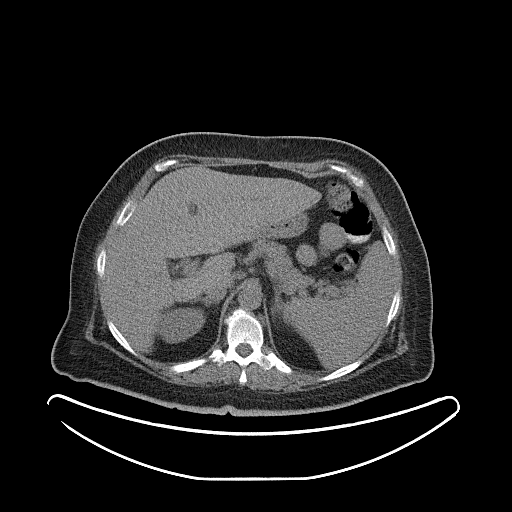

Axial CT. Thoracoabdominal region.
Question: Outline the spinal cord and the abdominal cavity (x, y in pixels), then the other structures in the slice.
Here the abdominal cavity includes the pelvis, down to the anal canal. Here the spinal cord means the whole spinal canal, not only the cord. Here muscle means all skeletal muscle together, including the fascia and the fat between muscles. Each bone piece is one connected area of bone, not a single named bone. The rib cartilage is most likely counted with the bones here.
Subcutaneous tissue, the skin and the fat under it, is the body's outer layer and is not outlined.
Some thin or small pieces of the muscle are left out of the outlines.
Answer: Outlined structures:
spinal cord: 240 344; 247 344; 248 345; 249 345; 250 346; 250 347; 252 350; 251 351; 251 352; 249 354; 248 354; 245 356; 242 356; 241 355; 240 355; 237 352; 237 351; 236 350; 236 347; 238 345; 239 345
abdominal cavity: 255 164; 306 178; 340 176; 359 188; 393 270; 391 302; 375 341; 360 357; 329 373; 293 369; 265 340; 262 292; 247 283; 228 302; 224 335; 209 353; 174 363; 139 353; 115 325; 106 304; 106 260; 118 232; 152 182; 170 168
torso: 187 132; 333 138; 368 151; 386 166; 404 194; 429 264; 433 298; 431 333; 434 363; 425 380; 327 411; 236 416; 164 407; 90 382; 74 381; 54 370; 51 352; 68 311; 72 253; 84 213; 113 172; 130 155; 158 139
bones 1: 237 307; 261 323; 264 344; 292 369; 290 374; 274 366; 264 370; 256 362; 250 362; 245 367; 246 382; 240 384; 241 367; 233 360; 218 366; 209 359; 177 373; 169 369; 175 363; 206 357; 215 348; 224 349; 227 345; 224 319, around a hole outlined by 240 344; 247 344; 248 345; 249 345; 250 346; 250 347; 252 350; 251 351; 251 352; 249 354; 248 354; 245 356; 242 356; 241 355; 240 355; 237 352; 237 351; 236 350; 236 347; 238 345; 239 345
bones 2: 359 358; 362 360; 361 364; 350 372; 344 375; 342 375; 339 377; 333 378; 329 380; 324 380; 323 381; 319 381; 318 380; 320 377; 322 377; 327 374; 329 374; 331 372; 333 372; 335 370; 337 370; 339 368; 341 368; 357 360
bones 3: 109 319; 110 319; 113 322; 114 325; 117 328; 117 329; 120 332; 120 333; 123 336; 123 337; 127 341; 129 345; 136 352; 136 355; 134 355; 127 350; 126 350; 115 339; 115 338; 110 332; 108 328; 108 326; 107 325; 107 320
bones 4: 129 200; 134 200; 137 203; 137 205; 135 208; 135 210; 133 212; 133 213; 129 217; 129 218; 127 220; 127 221; 126 221; 123 225; 122 225; 121 226; 118 226; 117 225; 116 225; 116 221; 117 220; 117 219; 118 218; 124 205
bones 5: 331 164; 334 164; 335 165; 338 165; 339 166; 341 166; 342 167; 345 167; 347 168; 353 174; 361 178; 363 180; 363 186; 361 188; 355 186; 347 178; 346 178; 346 176; 343 173; 341 173; 333 169; 331 169; 329 167; 329 165
bones 6: 397 290; 399 290; 400 291; 400 301; 399 302; 398 309; 397 310; 396 314; 394 316; 393 319; 390 322; 389 325; 388 326; 385 326; 385 322; 386 321; 386 319; 388 315; 388 312; 389 311; 389 309; 392 302; 392 298; 395 291
bones 7: 382 226; 385 226; 385 227; 392 237; 392 239; 393 240; 393 242; 395 246; 395 249; 396 250; 396 254; 394 256; 390 255; 390 254; 388 252; 388 250; 386 247; 386 245; 384 242; 384 240; 382 236; 382 232; 381 231; 381 227
bones 8: 102 249; 105 249; 105 251; 106 252; 106 259; 105 260; 105 267; 104 268; 104 276; 103 277; 100 277; 98 275; 98 274; 97 273; 97 258; 98 257; 98 255; 99 254; 99 253; 100 252; 100 251
bones 9: 168 159; 177 159; 178 160; 178 162; 177 162; 176 163; 175 163; 172 165; 170 165; 164 171; 162 171; 161 172; 156 172; 154 170; 154 166; 155 165; 155 164; 157 164; 158 163; 160 163; 161 162; 163 162; 164 161; 165 161
mediastinum: 247 284; 255 284; 259 289; 259 291; 261 292; 261 297; 264 304; 264 325; 262 325; 262 323; 255 315; 240 306; 234 307; 226 315; 226 313; 228 310; 229 302; 234 296; 236 295; 238 291; 243 288; 244 286
muscle 1: 177 153; 191 154; 199 156; 243 157; 250 159; 275 160; 276 161; 287 160; 296 162; 310 162; 321 159; 337 159; 354 166; 363 173; 366 176; 381 207; 397 235; 399 249; 401 253; 403 276; 406 283; 405 285; 406 296; 404 300; 405 306; 404 330; 408 341; 409 347; 408 349; 402 354; 394 358; 383 361; 357 376; 345 381; 307 391; 270 394; 269 393; 260 393; 246 386; 243 386; 240 388; 238 385; 235 384; 210 387; 185 386; 174 384; 162 380; 146 372; 119 357; 107 348; 94 344; 87 340; 84 335; 87 323; 91 315; 93 304; 93 258; 95 248; 99 241; 104 236; 115 212; 145 171; 158 159; 166 155; inner edge: 168 159; 178 160; 168 169; 185 165; 265 164; 306 178; 333 175; 345 178; 343 173; 329 167; 334 164; 363 180; 359 189; 379 228; 385 226; 395 246; 396 254; 389 257; 393 292; 400 291; 400 301; 389 325; 383 325; 360 357; 360 365; 339 377; 319 381; 325 375; 321 373; 293 369; 288 374; 274 366; 264 370; 250 362; 245 367; 246 382; 240 384; 241 367; 233 360; 218 366; 209 359; 177 373; 169 369; 172 362; 154 360; 137 351; 134 355; 115 339; 107 325; 111 316; 104 278; 97 273; 97 258; 102 249; 108 253; 120 231; 122 227; 116 221; 124 205; 129 200; 140 202; 160 174; 154 170; 155 164
muscle 2: 224 336; 224 337; 225 338; 225 344; 226 345; 225 346; 225 347; 224 348; 223 348; 222 347; 221 347; 220 346; 218 346; 217 347; 215 347; 214 348; 214 346; 216 344; 216 343; 217 343; 218 342; 219 342; 220 341; 220 340